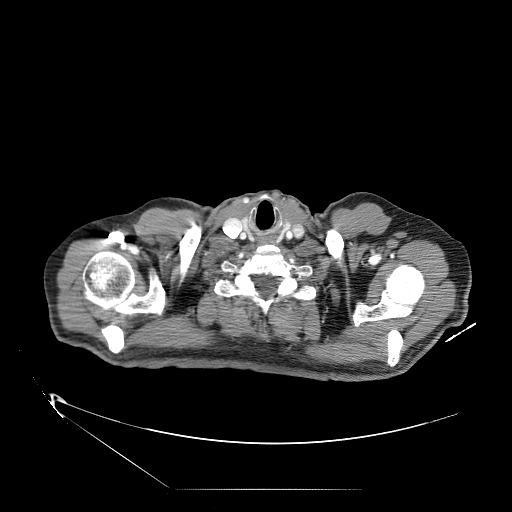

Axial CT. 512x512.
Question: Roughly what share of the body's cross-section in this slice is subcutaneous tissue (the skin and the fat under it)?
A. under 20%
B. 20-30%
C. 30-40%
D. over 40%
Answer: B. 20-30%
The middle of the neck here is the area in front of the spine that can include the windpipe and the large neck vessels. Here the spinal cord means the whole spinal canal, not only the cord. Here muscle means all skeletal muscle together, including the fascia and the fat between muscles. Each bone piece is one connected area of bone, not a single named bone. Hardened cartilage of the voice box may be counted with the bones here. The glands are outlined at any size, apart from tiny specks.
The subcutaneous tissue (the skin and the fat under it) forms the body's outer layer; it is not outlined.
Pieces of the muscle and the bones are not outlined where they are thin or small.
The right arm is outlined by 109,215 117,218 131,232 137,244 140,255 140,272 138,279 130,294 122,302 116,304 78,336 69,341 61,342 57,340 54,336 48,320 47,304 43,289 43,268 45,261 49,254 72,230 89,221. The middle of the neck is outlined by 263,199 273,200 284,216 280,238 290,227 291,222 304,225 304,238 290,243 282,241 277,245 255,243 250,246 233,241 222,234 220,231 222,222 238,217 242,221 242,229 250,236 246,213 255,202 with a hole at 276,207 278,209 278,210 279,211 280,211 280,214 281,215 280,216 280,217 281,218 281,222 279,224 278,223 278,222 279,221 279,219 278,218 278,213 275,210 275,208. The spinal cord is outlined by 253,275 270,275 274,277 278,277 278,279 279,281 276,286 276,288 275,290 268,297 266,298 264,298 260,295 260,293 257,290 255,286 255,283 252,278 252,276. The bones appear in 7 outlined pieces: piece 1: 101,251 115,252 129,262 135,276 135,282 132,291 138,296 142,296 148,291 149,270 153,269 156,272 166,295 166,304 163,312 160,315 155,313 123,314 112,309 104,310 84,297 82,272 90,258 94,254; piece 2: 264,244 276,245 292,264 311,266 311,275 299,280 298,285 316,286 313,299 285,296 272,303 264,315 248,297 220,296 214,291 216,280 232,281 234,278 233,273 222,270 220,266 224,260 240,265 258,246 with a hole at 253,275 270,275 274,277 278,277 278,279 279,281 276,286 276,288 275,290 268,297 266,298 264,298 260,295 260,293 257,290 255,286 255,283 252,278 252,276; piece 3: 401,263 410,264 417,268 422,273 425,281 424,290 425,291 413,307 412,311 404,317 365,321 356,327 352,319 352,315 356,303 358,301 361,301 367,305 376,304 381,298 381,293 385,287 385,279 387,275; piece 4: 193,222 196,223 198,225 201,225 201,227 202,228 201,237 197,244 197,246 191,258 191,260 190,261 189,266 187,269 186,274 182,282 180,283 179,282 180,274 179,273 179,269 178,268 180,263 179,243; piece 5: 111,323 113,323 119,326 122,329 124,333 124,348 119,353 117,353 116,354 115,353 113,353 108,348 107,346 107,343 106,342 106,340 101,332 101,328 102,327 108,324 110,324; piece 6: 392,328 395,328 401,334 401,335 402,336 402,338 403,339 403,345 400,350 400,357 399,358 399,360 395,365 394,365 391,367 387,364 386,361 387,360 387,333 388,332 388,331; piece 7: 330,228 335,228 335,229 340,234 343,240 343,250 342,251 342,258 341,259 341,264 340,265 339,265 337,263 337,260 335,259 330,254 328,250 328,247 325,241 325,239 326,238 326,231. The thyroid glands appear in 2 outlined pieces: piece 1: 244,215 245,215 245,216 246,217 247,217 247,223 248,224 248,228 249,229 249,231 250,232 250,235 249,235 249,234 248,233 247,233 243,229 243,221 242,220 242,219 241,218 242,217 242,216 243,216; piece 2: 285,217 286,218 287,218 290,221 290,225 289,226 289,227 282,234 282,236 281,237 280,237 280,236 281,235 281,232 282,231 282,230 283,229 283,226 284,225 284,220 285,219. The left arm is outlined by 408,212 412,212 425,216 433,220 454,238 460,240 467,250 471,265 472,283 468,298 469,307 467,315 463,322 459,325 447,325 436,322 402,307 390,296 385,286 384,261 387,249 396,228 399,225 402,218. The muscle is outlined by 271,192 294,199 323,223 336,208 373,202 392,217 388,234 405,232 443,249 457,289 454,310 412,345 399,365 404,339 395,327 386,333 385,362 390,367 385,368 370,360 358,365 314,362 251,338 226,339 201,349 131,347 119,355 125,348 119,325 100,328 112,353 95,337 62,326 55,278 73,241 128,226 151,207 190,208 205,217 260,193 245,214 219,226 231,241 257,246 240,264 227,259 220,263 233,278 216,279 213,291 220,297 248,298 264,316 285,297 313,300 319,288 299,285 312,275 312,266 288,261 278,246 304,239 306,227 286,217; inner edges: 101,251 115,252 129,262 135,276 135,282 132,291 138,296 142,296 148,291 149,270 153,269 156,272 166,295 166,304 163,312 160,315 155,313 123,314 112,309 104,310 84,297 82,272 90,258 94,254, then 401,263 410,264 417,268 422,273 425,281 424,290 425,291 413,307 412,311 404,317 365,321 356,327 352,319 352,315 356,303 358,301 361,301 367,305 376,304 381,298 381,293 385,287 385,279 387,275, then 193,222 196,223 198,225 201,225 201,227 202,228 201,237 197,244 197,246 191,258 191,260 190,261 189,266 187,269 186,274 182,282 180,283 179,282 180,274 179,273 179,269 178,268 180,263 179,243, then 330,228 335,228 335,229 340,234 343,240 343,250 342,251 342,258 341,259 341,264 340,265 339,265 337,263 337,260 335,259 330,254 328,250 328,247 325,241 325,239 326,238 326,231. The torso is outlined by 270,188 297,197 312,212 356,191 375,193 409,211 387,246 384,286 402,308 457,326 448,328 409,370 387,379 345,382 230,368 123,368 64,343 122,303 139,279 138,244 110,215 161,196 215,206 232,196.